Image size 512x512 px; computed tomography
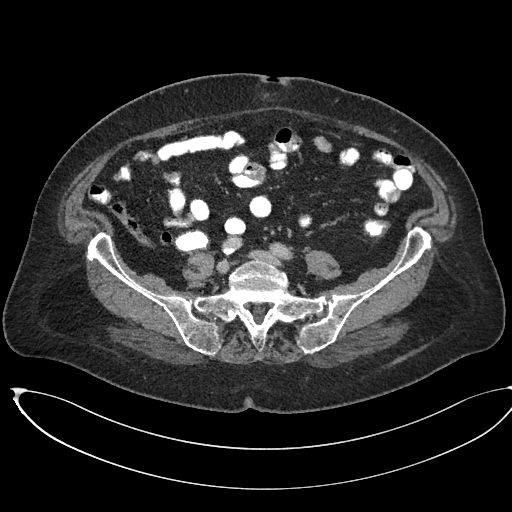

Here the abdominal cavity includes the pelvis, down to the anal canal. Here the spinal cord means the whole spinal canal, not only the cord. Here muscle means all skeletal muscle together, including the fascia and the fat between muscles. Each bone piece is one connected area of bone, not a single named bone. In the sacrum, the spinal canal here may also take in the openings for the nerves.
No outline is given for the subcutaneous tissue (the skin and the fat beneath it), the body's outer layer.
The spinal cord is outlined by 245,303 249,303 251,305 258,305 259,304 266,304 267,303 272,303 273,304 273,306 272,307 270,307 266,311 263,317 263,319 262,321 260,323 257,323 254,320 254,317 252,314 252,312 244,306 244,304. The bones are outlined by 415,225 431,248 312,354 296,342 299,321 277,322 259,351 238,319 216,322 214,356 198,352 159,304 86,257 90,239 104,231 125,272 161,295 223,293 231,272 257,259 283,271 293,295 329,299 385,277, around a hole outlined by 245,303 249,303 251,305 258,305 259,304 266,304 267,303 272,303 273,304 273,306 272,307 270,307 266,311 263,317 263,319 262,321 260,323 257,323 254,320 254,317 252,314 252,312 244,306 244,304. The muscle appears in 2 outlined pieces: piece 1: 272,105 303,109 336,117 354,124 359,124 383,134 403,145 422,158 436,171 447,186 456,208 457,217 455,230 453,236 440,246 435,255 429,276 424,287 403,313 402,316 406,320 411,322 411,326 408,332 401,340 382,351 327,368 315,367 308,363 302,362 291,362 282,365 270,365 261,361 256,361 250,364 233,364 221,361 210,361 205,364 193,365 173,364 145,356 109,341 103,332 103,327 109,321 110,313 92,294 88,287 82,252 75,245 68,243 62,237 58,230 58,207 61,197 70,182 89,162 118,142 131,136 142,134 156,128 195,117 with a hole at 270,110 401,150 431,192 385,265 316,297 375,285 415,225 431,248 319,351 299,347 299,321 259,351 235,319 205,355 86,252 104,231 137,283 188,299 213,254 192,253 174,289 125,260 84,193 135,141; piece 2: 311,250 321,250 330,254 338,262 339,264 339,267 341,271 340,274 337,277 333,279 325,279 322,277 314,275 311,273 308,273 306,271 306,263 304,259 304,256 305,256 306,254 307,254 308,252 309,252. The torso is outlined by 235,72 271,80 308,77 375,97 422,124 450,149 476,193 485,243 504,293 505,327 493,346 386,394 300,413 222,412 170,403 8,346 2,325 5,300 40,191 65,151 101,118 144,93 193,77. The abdominal cavity is outlined by 270,110 389,144 411,159 432,205 407,216 385,265 302,296 289,290 283,270 253,258 230,272 225,291 199,295 214,273 211,252 192,253 181,268 187,285 174,289 133,268 110,220 82,206 88,186 125,146; inner edge: 311,250 321,250 330,254 338,262 339,264 339,267 341,271 340,274 337,277 333,279 325,279 322,277 314,275 311,273 308,273 306,271 306,263 304,259 304,256 305,256 306,254 307,254 308,252 309,252.